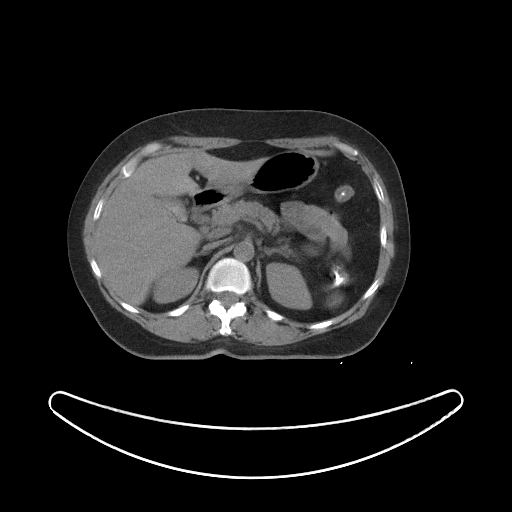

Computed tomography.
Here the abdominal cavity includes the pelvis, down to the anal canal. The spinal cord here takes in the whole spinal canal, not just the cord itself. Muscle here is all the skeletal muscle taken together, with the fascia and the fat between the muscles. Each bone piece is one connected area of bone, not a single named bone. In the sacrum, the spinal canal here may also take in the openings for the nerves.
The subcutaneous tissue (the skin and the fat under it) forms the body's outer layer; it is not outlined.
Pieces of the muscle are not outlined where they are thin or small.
spinal cord: (224, 291) (229, 291) (230, 292) (233, 292) (234, 293) (235, 293) (239, 297) (239, 300) (238, 300) (236, 302) (231, 304) (228, 307) (225, 307) (222, 304) (222, 303) (218, 299) (218, 298) (217, 297) (217, 295) (219, 293) (220, 293) (221, 292) (223, 292)
bones 1: (224, 257) (231, 257) (245, 264) (252, 284) (251, 289) (242, 297) (247, 308) (245, 317) (237, 316) (230, 320) (229, 326) (232, 332) (229, 335) (221, 335) (218, 332) (221, 327) (221, 320) (216, 315) (207, 315) (208, 304) (214, 295) (205, 287) (207, 275) (211, 267); inner edge: (224, 291) (229, 291) (230, 292) (233, 292) (234, 293) (235, 293) (239, 297) (239, 300) (238, 300) (236, 302) (231, 304) (228, 307) (225, 307) (222, 304) (222, 303) (218, 299) (218, 298) (217, 297) (217, 295) (219, 293) (220, 293) (221, 292) (223, 292)
bones 2: (153, 142) (157, 142) (159, 143) (161, 145) (161, 146) (155, 151) (142, 156) (139, 159) (139, 161) (135, 166) (133, 171) (130, 174) (130, 175) (127, 177) (123, 177) (120, 173) (120, 169) (122, 167) (122, 166) (132, 157) (137, 154) (146, 145) (150, 143) (152, 143)
bones 3: (335, 142) (340, 142) (341, 143) (343, 143) (344, 144) (346, 144) (347, 145) (350, 146) (352, 148) (357, 150) (357, 151) (358, 152) (358, 154) (356, 156) (354, 156) (353, 155) (351, 155) (350, 154) (348, 154) (343, 151) (341, 151) (334, 145) (334, 143)
bones 4: (375, 177) (378, 180) (378, 181) (381, 186) (381, 188) (382, 189) (382, 191) (383, 192) (383, 195) (384, 196) (384, 202) (381, 202) (378, 200) (378, 199) (377, 198) (377, 196) (374, 191) (374, 189) (373, 188) (373, 186) (372, 185) (372, 181) (373, 180) (373, 179)
bones 5: (331, 318) (333, 318) (335, 319) (335, 322) (326, 327) (324, 327) (323, 328) (317, 328) (316, 329) (310, 329) (307, 327) (308, 325) (310, 324) (312, 324) (316, 322) (320, 322) (321, 321) (323, 321) (324, 320) (327, 320)
bones 6: (376, 278) (379, 278) (380, 280) (380, 284) (378, 286) (376, 290) (371, 295) (370, 295) (368, 297) (364, 299) (362, 299) (361, 297) (366, 291) (366, 290) (369, 287) (369, 286) (372, 283) (374, 279)
bones 7: (184, 304) (188, 304) (189, 305) (189, 307) (182, 314) (181, 314) (180, 315) (178, 315) (177, 316) (170, 316) (169, 315) (168, 315) (166, 313) (168, 311) (169, 311) (170, 310) (172, 310) (173, 309) (175, 309) (176, 308) (179, 307) (181, 305) (183, 305)
bones 8: (102, 197) (103, 197) (105, 199) (105, 201) (102, 206) (102, 208) (101, 209) (101, 211) (100, 212) (100, 214) (99, 215) (99, 217) (96, 220) (94, 220) (93, 219) (93, 213) (94, 212) (94, 210) (95, 209) (95, 207) (96, 206) (96, 205) (97, 204) (98, 201)
bones 9: (266, 308) (268, 308) (269, 309) (270, 309) (271, 310) (272, 310) (273, 311) (274, 311) (275, 312) (277, 312) (279, 314) (281, 314) (283, 316) (284, 316) (284, 318) (282, 320) (273, 320) (272, 319) (271, 319) (266, 314) (266, 313) (265, 312) (265, 309)
bones 10: (383, 224) (384, 224) (385, 225) (385, 229) (386, 230) (386, 246) (385, 247) (382, 247) (381, 246) (381, 245) (380, 244) (380, 226) (381, 225) (382, 225)
bones 11: (92, 258) (94, 258) (95, 259) (95, 260) (97, 263) (97, 265) (99, 267) (99, 269) (101, 272) (101, 277) (100, 278) (98, 278) (95, 275) (95, 274) (93, 272) (93, 271) (92, 270) (92, 269) (90, 266) (90, 260)
bones 12: (120, 300) (121, 300) (122, 301) (123, 301) (124, 302) (125, 302) (126, 303) (127, 303) (128, 304) (133, 306) (138, 310) (138, 312) (137, 313) (135, 313) (134, 312) (131, 312) (130, 311) (127, 310) (125, 308) (124, 308) (120, 304) (120, 302) (119, 301)
abdominal cavity: (245, 142) (300, 150) (335, 149) (361, 166) (378, 201) (380, 245) (373, 280) (362, 295) (334, 317) (297, 321) (260, 300) (247, 265) (224, 256) (210, 267) (201, 289) (175, 308) (152, 312) (120, 299) (102, 277) (94, 249) (97, 220) (118, 182) (129, 177) (146, 156)
muscle 1: (171, 135) (239, 139) (333, 135) (354, 145) (366, 155) (382, 178) (392, 206) (394, 256) (391, 259) (384, 283) (374, 296) (365, 314) (338, 328) (283, 345) (259, 346) (230, 336) (233, 332) (230, 326) (231, 320) (237, 317) (246, 317) (248, 308) (243, 297) (252, 289) (252, 286) (256, 297) (267, 306) (264, 312) (271, 320) (282, 321) (286, 317) (297, 322) (309, 323) (306, 327) (310, 330) (316, 330) (334, 324) (336, 316) (345, 312) (360, 298) (364, 300) (371, 296) (381, 284) (379, 277) (374, 278) (378, 267) (380, 247) (387, 246) (386, 225) (384, 223) (380, 225) (379, 210) (379, 202) (385, 202) (384, 192) (375, 176) (371, 181) (362, 166) (342, 152) (356, 157) (359, 154) (358, 150) (340, 141) (333, 143) (338, 149) (329, 147) (288, 148) (261, 141) (245, 141) (226, 147) (171, 150) (154, 156) (147, 155) (155, 152) (162, 145) (157, 141) (150, 142) (121, 166) (119, 169) (121, 179) (107, 197) (102, 196) (94, 207) (92, 219) (97, 221) (93, 232) (95, 258) (92, 257) (89, 260) (89, 265) (82, 240) (82, 231) (86, 214) (98, 186) (107, 174) (135, 148)
muscle 2: (90, 267) (119, 298) (119, 304) (135, 314) (142, 309) (152, 313) (166, 312) (170, 317) (180, 316) (190, 307) (186, 302) (204, 286) (213, 295) (207, 304) (206, 315) (220, 320) (217, 331) (220, 335) (192, 343) (170, 340) (148, 331) (111, 306) (100, 291)
torso: (209, 107) (313, 109) (334, 113) (367, 129) (392, 155) (407, 201) (410, 261) (393, 310) (375, 338) (360, 351) (335, 359) (242, 360) (216, 354) (201, 360) (152, 360) (120, 347) (95, 320) (76, 287) (67, 256) (68, 214) (83, 177) (104, 147) (132, 125) (168, 112)